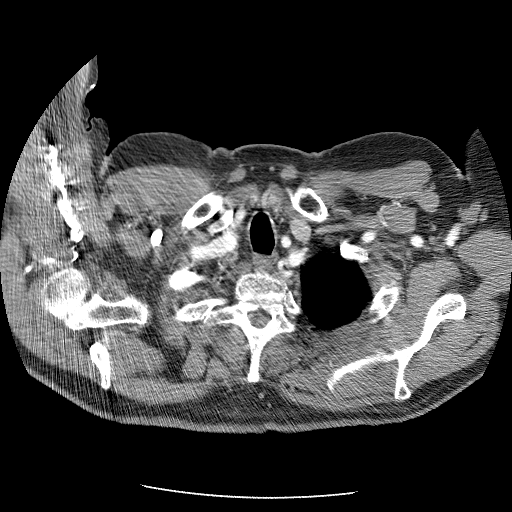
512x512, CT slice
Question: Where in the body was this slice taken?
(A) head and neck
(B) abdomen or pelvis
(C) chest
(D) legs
Answer: (C) chest
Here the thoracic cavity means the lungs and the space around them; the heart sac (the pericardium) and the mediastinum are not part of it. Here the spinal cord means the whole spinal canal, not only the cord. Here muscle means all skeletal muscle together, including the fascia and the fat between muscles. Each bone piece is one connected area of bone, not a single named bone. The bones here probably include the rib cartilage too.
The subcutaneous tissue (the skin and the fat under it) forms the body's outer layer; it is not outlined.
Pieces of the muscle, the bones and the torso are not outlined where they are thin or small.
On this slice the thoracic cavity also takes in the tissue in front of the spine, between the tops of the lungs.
The spinal cord is outlined by (260, 309) (264, 312) (265, 312) (267, 314) (268, 314) (270, 316) (270, 318) (269, 319) (269, 320) (262, 327) (257, 327) (252, 324) (252, 323) (250, 320) (250, 315) (249, 314) (249, 313) (250, 312) (253, 312) (254, 311) (256, 311) (257, 310) (259, 310). The bones appear in 9 outlined pieces: piece 1: (279, 266) (292, 272) (289, 286) (303, 314) (296, 318) (295, 331) (279, 333) (264, 346) (259, 360) (262, 379) (258, 382) (244, 380) (250, 351) (238, 326) (207, 326) (201, 320) (179, 323) (170, 317) (174, 304) (226, 296) (232, 293) (240, 274) (256, 268) (274, 273) with a hole at (260, 309) (264, 312) (265, 312) (267, 314) (268, 314) (270, 316) (270, 318) (269, 319) (269, 320) (262, 327) (257, 327) (252, 324) (252, 323) (250, 320) (250, 315) (249, 314) (249, 313) (250, 312) (253, 312) (254, 311) (256, 311) (257, 310) (259, 310); piece 2: (71, 260) (74, 267) (85, 272) (91, 288) (105, 300) (116, 301) (122, 299) (125, 294) (131, 294) (147, 303) (149, 316) (146, 323) (118, 323) (105, 329) (87, 327) (73, 330) (52, 315) (44, 313) (36, 301) (36, 290) (41, 287) (46, 275) (57, 264); piece 3: (446, 292) (464, 296) (465, 315) (461, 320) (440, 322) (428, 342) (412, 356) (404, 370) (411, 390) (407, 399) (394, 399) (396, 360) (347, 373) (334, 386) (335, 394) (329, 389) (326, 380) (333, 369) (370, 353) (395, 353) (411, 344) (421, 333) (430, 306); piece 4: (213, 190) (216, 191) (218, 193) (222, 194) (224, 196) (226, 196) (231, 202) (231, 204) (229, 205) (226, 203) (224, 205) (225, 208) (219, 209) (213, 215) (204, 220) (193, 228) (188, 229) (184, 233) (182, 231) (182, 228) (181, 227) (181, 220) (187, 210) (203, 195); piece 5: (302, 183) (303, 183) (306, 186) (310, 187) (313, 189) (321, 198) (324, 204) (326, 206) (328, 211) (328, 216) (326, 219) (323, 221) (321, 221) (320, 222) (312, 221) (308, 218) (303, 216) (298, 211) (292, 207) (288, 196) (288, 189) (290, 189) (294, 191) (296, 188); piece 6: (390, 279) (395, 280) (399, 286) (402, 286) (402, 291) (399, 295) (398, 300) (388, 312) (387, 318) (383, 317) (374, 323) (367, 322) (367, 320) (372, 316) (371, 315) (364, 313) (360, 316) (363, 310) (370, 303) (373, 297) (373, 290) (376, 290) (383, 283) (388, 283); piece 7: (103, 337) (107, 337) (109, 340) (108, 341) (108, 351) (111, 356) (110, 357) (110, 360) (111, 361) (110, 382) (111, 385) (109, 389) (107, 390) (103, 389) (100, 386) (100, 374) (99, 371) (97, 367) (92, 362) (89, 355) (89, 348) (90, 346) (97, 339) (101, 339); piece 8: (184, 267) (186, 267) (190, 271) (192, 272) (196, 272) (199, 274) (203, 275) (202, 279) (201, 280) (201, 282) (187, 289) (185, 289) (181, 291) (173, 289) (169, 286) (167, 276) (169, 274) (173, 272) (176, 269) (179, 269) (180, 268) (183, 268); piece 9: (343, 238) (348, 238) (349, 239) (349, 241) (351, 243) (359, 244) (362, 247) (365, 247) (367, 249) (367, 254) (368, 255) (369, 260) (364, 264) (360, 264) (359, 266) (358, 263) (355, 260) (348, 260) (344, 258) (340, 254) (340, 252) (339, 251) (339, 244) (341, 239). The left arm is outlined by (474, 128) (476, 128) (479, 131) (488, 148) (499, 176) (503, 194) (505, 198) (509, 221) (509, 233) (511, 235) (511, 280) (508, 283) (508, 295) (491, 289) (485, 285) (482, 281) (467, 270) (466, 266) (462, 192) (460, 189) (460, 173) (461, 168) (463, 167) (465, 143). The right arm is outlined by (96, 56) (98, 77) (86, 94) (85, 104) (91, 116) (106, 120) (110, 139) (105, 150) (100, 190) (99, 233) (92, 288) (72, 319) (51, 339) (43, 346) (20, 354) (12, 335) (0, 271) (0, 240) (3, 237) (6, 199) (18, 161) (38, 121) (60, 90). The muscle is outlined by (87, 64) (81, 109) (98, 180) (149, 163) (365, 170) (421, 159) (446, 205) (482, 199) (486, 223) (511, 235) (511, 280) (491, 346) (412, 393) (405, 370) (413, 356) (440, 323) (466, 315) (465, 296) (446, 291) (411, 343) (331, 370) (325, 384) (335, 395) (345, 375) (396, 361) (392, 394) (401, 402) (353, 412) (230, 394) (135, 403) (108, 390) (107, 336) (88, 348) (104, 391) (41, 361) (10, 326) (0, 271) (4, 210) (35, 126), around holes outlined by (262, 189) (274, 190) (291, 216) (321, 228) (315, 238) (320, 245) (334, 248) (348, 238) (365, 247) (369, 260) (359, 266) (372, 291) (390, 279) (402, 291) (388, 317) (374, 323) (364, 313) (324, 330) (299, 315) (295, 331) (266, 343) (259, 360) (262, 379) (253, 383) (244, 380) (250, 351) (238, 326) (179, 323) (170, 317) (174, 304) (231, 294) (237, 277) (252, 271) (216, 250) (210, 236) (216, 212) (184, 233) (187, 210) (213, 190) (237, 206) and by (71, 260) (74, 267) (85, 272) (91, 288) (105, 300) (116, 301) (122, 299) (125, 294) (131, 294) (147, 303) (149, 316) (146, 323) (118, 323) (105, 329) (87, 327) (73, 330) (52, 315) (44, 313) (36, 301) (36, 290) (41, 287) (46, 275) (57, 264) and by (302, 183) (303, 183) (306, 186) (310, 187) (313, 189) (321, 198) (324, 204) (326, 206) (328, 211) (328, 216) (326, 219) (323, 221) (321, 221) (320, 222) (312, 221) (308, 218) (303, 216) (298, 211) (292, 207) (288, 196) (288, 189) (290, 189) (294, 191) (296, 188) and by (184, 267) (186, 267) (190, 271) (192, 272) (196, 272) (199, 274) (203, 275) (202, 279) (201, 280) (201, 282) (187, 289) (185, 289) (181, 291) (173, 289) (169, 286) (167, 276) (169, 274) (173, 272) (176, 269) (179, 269) (180, 268) (183, 268). The torso is outlined by (145, 131) (177, 132) (213, 148) (230, 149) (271, 143) (319, 151) (379, 131) (402, 131) (431, 140) (460, 168) (466, 270) (508, 296) (482, 375) (436, 408) (400, 423) (245, 434) (121, 424) (85, 411) (34, 379) (20, 355) (51, 340) (73, 319) (93, 288) (106, 150). The thoracic cavity is outlined by (262, 189) (274, 190) (291, 216) (321, 228) (315, 238) (320, 245) (338, 247) (344, 259) (357, 263) (372, 291) (357, 319) (330, 330) (316, 329) (295, 298) (291, 270) (279, 265) (274, 272) (261, 267) (252, 270) (216, 250) (210, 225) (217, 212) (237, 206) (242, 198).